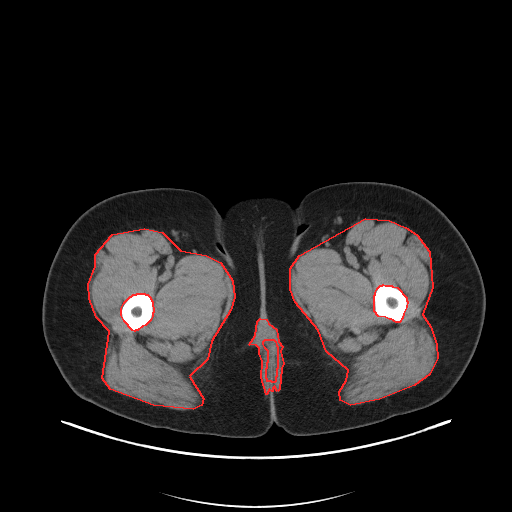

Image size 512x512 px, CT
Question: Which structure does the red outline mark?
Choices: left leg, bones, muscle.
Answer: red: muscle.
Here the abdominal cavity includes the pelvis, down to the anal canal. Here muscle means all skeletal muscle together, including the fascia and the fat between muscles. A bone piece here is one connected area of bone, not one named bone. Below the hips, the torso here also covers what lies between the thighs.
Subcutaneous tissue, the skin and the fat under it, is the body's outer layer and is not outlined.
Outlines (x, y in pixels):
muscle 1: (365, 218) (389, 220) (405, 227) (416, 234) (429, 251) (432, 287) (422, 314) (430, 326) (436, 344) (437, 358) (429, 374) (414, 385) (379, 399) (350, 405) (340, 400) (339, 391) (346, 380) (348, 370) (326, 351) (318, 330) (295, 302) (290, 289) (290, 268) (299, 255), around a hole outlined by (383, 284) (385, 285) (391, 285) (392, 286) (397, 287) (406, 297) (406, 300) (407, 301) (406, 307) (403, 313) (402, 318) (399, 322) (396, 322) (391, 319) (389, 319) (385, 317) (378, 316) (374, 311) (374, 295) (375, 294) (375, 292) (377, 288) (380, 285) (382, 285)
muscle 2: (144, 228) (162, 232) (180, 250) (206, 255) (220, 262) (232, 280) (234, 297) (230, 310) (211, 341) (207, 359) (189, 376) (203, 398) (201, 405) (193, 409) (153, 405) (110, 389) (102, 378) (109, 331) (96, 317) (89, 298) (88, 284) (95, 266) (95, 254) (112, 234) with a hole at (137, 293) (144, 293) (145, 294) (147, 294) (149, 296) (152, 301) (153, 312) (152, 313) (152, 316) (150, 320) (145, 325) (142, 326) (137, 330) (135, 330) (134, 331) (132, 330) (124, 321) (121, 315) (121, 308) (124, 302) (130, 296) (131, 296) (133, 294) (136, 294)
muscle 3: (260, 318) (266, 319) (268, 323) (276, 329) (278, 341) (282, 346) (280, 351) (283, 363) (281, 368) (279, 389) (277, 391) (274, 386) (272, 388) (272, 391) (269, 389) (266, 394) (261, 377) (262, 361) (259, 353) (259, 348) (256, 345) (249, 344) (255, 335) (257, 321) with a hole at (265, 339) (273, 339) (275, 341) (276, 345) (277, 346) (277, 368) (276, 369) (276, 376) (275, 377) (275, 381) (274, 382) (272, 382) (271, 381) (267, 381) (267, 379) (266, 378) (266, 368) (267, 367) (267, 362) (268, 361) (268, 351) (265, 348) (263, 344) (263, 341)
left leg: (348, 181) (393, 183) (412, 189) (433, 202) (452, 221) (468, 244) (480, 270) (486, 294) (484, 323) (477, 347) (463, 375) (452, 390) (444, 398) (428, 407) (362, 427) (352, 422) (342, 401) (315, 374) (279, 308) (284, 266) (295, 242) (300, 219) (299, 202) (316, 188)
torso: (248, 196) (274, 196) (287, 201) (292, 206) (297, 205) (299, 219) (294, 242) (283, 266) (279, 312) (314, 374) (341, 401) (347, 416) (357, 428) (296, 436) (273, 424) (264, 435) (253, 438) (200, 434) (208, 401) (233, 350) (238, 328) (236, 276) (223, 215) (230, 204)
bones 1: (383, 284) (385, 285) (391, 285) (392, 286) (397, 287) (406, 297) (406, 300) (407, 301) (406, 307) (403, 313) (402, 318) (399, 322) (396, 322) (391, 319) (389, 319) (385, 317) (378, 316) (374, 311) (374, 295) (375, 294) (375, 292) (377, 288) (380, 285) (382, 285)
bones 2: (137, 293) (144, 293) (145, 294) (147, 294) (149, 296) (152, 301) (153, 312) (152, 313) (152, 316) (150, 320) (145, 325) (142, 326) (137, 330) (135, 330) (134, 331) (132, 330) (124, 321) (121, 315) (121, 308) (124, 302) (130, 296) (131, 296) (133, 294) (136, 294)
abdominal cavity: (265, 339) (273, 339) (275, 341) (276, 345) (277, 346) (277, 368) (276, 369) (276, 376) (275, 377) (275, 381) (274, 382) (272, 382) (271, 381) (267, 381) (267, 379) (266, 378) (266, 368) (267, 367) (267, 362) (268, 361) (268, 351) (265, 348) (263, 344) (263, 341)
right leg: (157, 187) (190, 189) (205, 195) (211, 200) (223, 218) (235, 276) (236, 336) (232, 350) (217, 377) (207, 401) (199, 434) (148, 426) (114, 414) (80, 398) (72, 391) (59, 372) (43, 336) (41, 306) (48, 270) (63, 236) (72, 223) (86, 209) (111, 195) (130, 190)